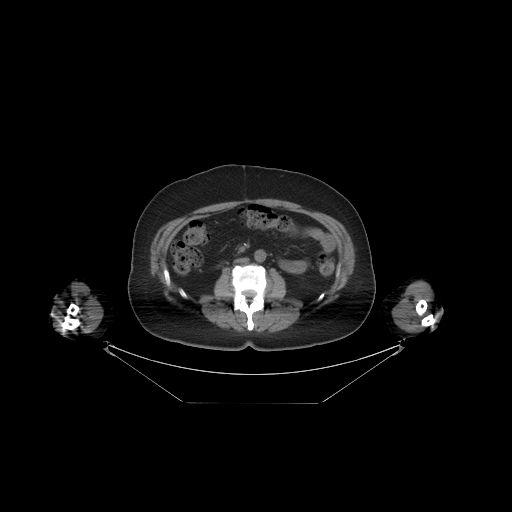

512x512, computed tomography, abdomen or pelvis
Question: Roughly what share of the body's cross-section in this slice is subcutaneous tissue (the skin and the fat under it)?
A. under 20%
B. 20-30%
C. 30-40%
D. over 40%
Answer: D. over 40%
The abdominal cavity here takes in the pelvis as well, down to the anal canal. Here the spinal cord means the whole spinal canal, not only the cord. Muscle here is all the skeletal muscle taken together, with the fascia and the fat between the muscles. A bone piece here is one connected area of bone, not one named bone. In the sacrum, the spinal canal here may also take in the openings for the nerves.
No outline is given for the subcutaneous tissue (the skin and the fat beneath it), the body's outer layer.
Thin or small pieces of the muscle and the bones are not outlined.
Outlines (x, y in pixels):
muscle 1: 245 198; 281 199; 325 213; 343 224; 355 250; 354 270; 336 299; 308 315; 302 314; 289 327; 268 334; 240 333; 224 329; 210 322; 201 313; 179 308; 168 301; 163 293; 162 284; 150 273; 150 246; 157 230; 163 224; 200 207; inner edge: 246 203; 301 213; 320 223; 335 239; 340 270; 321 300; 303 302; 286 297; 286 281; 271 267; 264 307; 251 316; 252 330; 247 315; 234 310; 228 266; 212 293; 197 299; 183 298; 174 281; 165 283; 163 273; 168 244; 189 221
muscle 2: 73 282; 81 282; 86 285; 89 293; 95 297; 103 309; 101 321; 93 331; 88 333; 64 333; 65 330; 76 329; 81 323; 75 317; 80 308; 73 302; 69 304; 64 319; 60 322; 61 331; 56 326; 56 318; 68 299; 69 290
muscle 3: 417 280; 423 280; 427 282; 432 290; 433 293; 433 300; 431 302; 432 313; 431 312; 424 315; 420 320; 420 324; 423 327; 426 327; 417 332; 407 332; 401 329; 394 322; 392 316; 392 309; 402 298; 402 295; 407 286; 414 281; inner edge: 420 299; 424 299; 425 300; 425 301; 426 302; 426 303; 427 304; 427 307; 426 308; 426 310; 425 311; 425 312; 422 315; 419 315; 417 313; 417 312; 416 311; 416 309; 415 308; 415 307; 416 306; 416 304; 417 303; 417 302
abdominal cavity: 246 203; 304 214; 320 223; 335 239; 335 277; 316 299; 303 302; 286 297; 286 281; 278 270; 271 267; 267 271; 262 264; 253 262; 237 263; 231 269; 223 267; 212 293; 201 293; 197 299; 171 279; 166 253; 172 238; 189 221
right arm: 73 274; 79 275; 86 279; 93 286; 112 298; 117 305; 117 315; 116 317; 109 324; 106 332; 102 336; 98 338; 95 339; 77 339; 76 340; 66 338; 57 333; 49 322; 48 314; 50 311; 51 300; 53 296; 57 292; 63 279
bones 1: 250 263; 262 265; 265 268; 267 283; 264 291; 264 307; 262 310; 255 311; 251 316; 253 322; 253 329; 252 330; 247 329; 247 315; 243 311; 234 310; 233 307; 234 288; 231 283; 232 278; 231 270; 233 267; 237 264; 244 265; inner edge: 249 290; 250 291; 254 291; 255 292; 255 294; 252 297; 252 298; 250 300; 250 301; 248 301; 248 300; 247 299; 247 298; 246 297; 246 296; 244 294; 243 294; 242 293; 242 292; 243 291; 248 291
bones 2: 71 303; 73 303; 79 308; 77 313; 74 316; 74 317; 78 319; 80 321; 80 323; 79 325; 76 328; 74 329; 65 329; 63 332; 62 331; 61 322; 62 322; 65 319; 65 317; 67 314; 67 309; 69 307
bones 3: 420 299; 424 299; 425 300; 425 301; 426 302; 426 303; 427 304; 427 307; 426 308; 426 310; 425 311; 425 312; 422 315; 419 315; 417 313; 417 312; 416 311; 416 309; 415 308; 415 307; 416 306; 416 304; 417 303; 417 302
bones 4: 431 313; 433 315; 433 316; 434 317; 434 318; 435 319; 435 322; 434 323; 434 324; 433 325; 432 325; 431 326; 423 326; 421 324; 421 320; 422 319; 422 318; 424 316; 425 316; 426 315; 427 315; 428 314; 430 314
bones 5: 164 267; 166 267; 167 268; 167 269; 168 270; 168 271; 169 272; 169 276; 170 277; 170 285; 169 286; 168 286; 165 283; 165 278; 164 277; 164 274; 163 273; 163 269; 164 268
bones 6: 179 288; 182 288; 184 290; 184 291; 186 293; 186 294; 187 295; 187 298; 183 298; 180 295; 180 294; 179 293
bones 7: 323 292; 324 292; 324 293; 324 294; 324 295; 324 296; 323 297; 322 298; 322 299; 321 300; 320 300; 319 301; 318 301; 317 300; 317 299; 317 298; 318 297; 319 296; 320 295; 320 294; 321 293; 322 293
spinal cord: 249 290; 250 291; 254 291; 255 292; 255 294; 252 297; 252 298; 250 300; 250 301; 248 301; 248 300; 247 299; 247 298; 246 297; 246 296; 244 294; 243 294; 242 293; 242 292; 243 291; 248 291
torso: 232 163; 270 166; 309 174; 334 187; 355 207; 369 241; 376 292; 367 317; 353 333; 333 342; 300 349; 258 351; 248 346; 238 351; 223 351; 167 341; 150 334; 139 323; 128 300; 127 279; 133 233; 142 210; 165 185; 218 165
left arm: 416 274; 426 274; 429 275; 433 279; 436 289; 442 300; 444 319; 439 326; 430 333; 426 333; 413 338; 408 338; 405 341; 404 340; 398 341; 397 338; 392 335; 389 331; 386 322; 379 316; 378 310; 383 299; 389 293; 408 278